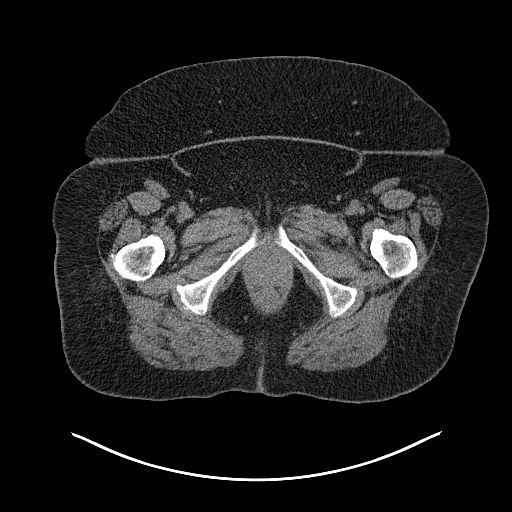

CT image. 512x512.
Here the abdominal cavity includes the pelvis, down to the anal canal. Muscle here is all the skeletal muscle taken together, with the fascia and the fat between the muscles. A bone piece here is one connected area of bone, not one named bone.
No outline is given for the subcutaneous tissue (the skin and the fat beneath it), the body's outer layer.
Outlines:
bones 1: (150, 234) (156, 234) (158, 235) (163, 241) (166, 251) (166, 255) (162, 263) (156, 269) (154, 273) (149, 278) (144, 281) (133, 281) (121, 277) (114, 269) (112, 265) (112, 259) (110, 257) (110, 254) (111, 253) (115, 253) (124, 245) (134, 241) (137, 241) (139, 239)
bones 2: (375, 228) (383, 228) (391, 233) (394, 234) (401, 234) (407, 236) (413, 242) (417, 252) (418, 264) (416, 268) (410, 273) (404, 276) (402, 276) (400, 278) (391, 278) (389, 277) (384, 272) (378, 262) (376, 261) (371, 255) (369, 250) (369, 245) (372, 237) (372, 232)
bones 3: (254, 229) (257, 230) (256, 236) (260, 243) (240, 258) (219, 279) (210, 295) (208, 309) (206, 313) (204, 315) (198, 315) (186, 309) (180, 300) (179, 295) (176, 290) (176, 285) (191, 283) (209, 275) (216, 270) (227, 259) (230, 253) (235, 248) (249, 238)
bones 4: (279, 224) (285, 230) (288, 238) (303, 250) (314, 265) (325, 276) (332, 278) (342, 284) (353, 286) (357, 289) (357, 295) (354, 303) (341, 316) (335, 318) (330, 316) (324, 290) (317, 278) (291, 253) (279, 244) (276, 244) (278, 242) (278, 239) (276, 237) (277, 227)
abdominal cavity: (264, 248) (273, 248) (279, 252) (289, 269) (289, 287) (283, 294) (281, 301) (276, 309) (268, 311) (262, 311) (258, 306) (254, 299) (254, 296) (252, 295) (252, 292) (246, 281) (246, 278) (244, 277) (246, 276) (244, 275) (246, 266) (248, 263) (260, 250)
muscle: (396, 176) (431, 190) (443, 216) (433, 253) (421, 275) (399, 296) (387, 343) (373, 359) (326, 372) (285, 365) (290, 341) (314, 322) (321, 306) (298, 271) (286, 303) (271, 316) (256, 311) (240, 272) (218, 295) (212, 314) (244, 337) (243, 357) (234, 366) (167, 370) (150, 365) (130, 346) (128, 315) (97, 247) (99, 213) (123, 190) (158, 181) (200, 216) (232, 206) (247, 208) (262, 223) (275, 223) (287, 209) (305, 204) (336, 213) (378, 181), around holes outlined by (264, 248) (273, 248) (279, 252) (289, 269) (289, 287) (283, 294) (281, 301) (276, 309) (268, 311) (262, 311) (258, 306) (254, 299) (254, 296) (252, 295) (252, 292) (246, 281) (246, 278) (244, 277) (246, 276) (244, 275) (246, 266) (248, 263) (260, 250) and by (150, 234) (156, 234) (158, 235) (163, 241) (166, 251) (166, 255) (162, 263) (156, 269) (154, 273) (149, 278) (144, 281) (133, 281) (121, 277) (114, 269) (112, 265) (112, 259) (110, 257) (110, 254) (111, 253) (115, 253) (124, 245) (134, 241) (137, 241) (139, 239) and by (375, 228) (383, 228) (391, 233) (394, 234) (401, 234) (407, 236) (413, 242) (417, 252) (418, 264) (416, 268) (410, 273) (404, 276) (402, 276) (400, 278) (391, 278) (389, 277) (384, 272) (378, 262) (376, 261) (371, 255) (369, 250) (369, 245) (372, 237) (372, 232) and by (254, 229) (257, 230) (256, 236) (260, 243) (240, 258) (219, 279) (210, 295) (208, 309) (206, 313) (204, 315) (198, 315) (186, 309) (180, 300) (179, 295) (176, 290) (176, 285) (191, 283) (209, 275) (216, 270) (227, 259) (230, 253) (235, 248) (249, 238) and by (279, 224) (285, 230) (288, 238) (303, 250) (314, 265) (325, 276) (332, 278) (342, 284) (353, 286) (357, 289) (357, 295) (354, 303) (341, 316) (335, 318) (330, 316) (324, 290) (317, 278) (291, 253) (279, 244) (276, 244) (278, 242) (278, 239) (276, 237) (277, 227)
torso: (254, 56) (317, 56) (381, 69) (406, 82) (446, 121) (446, 150) (476, 171) (489, 207) (484, 253) (451, 355) (418, 389) (375, 402) (242, 391) (148, 400) (94, 391) (72, 374) (62, 349) (52, 226) (57, 190) (89, 160) (83, 147) (88, 131) (125, 90) (172, 68)